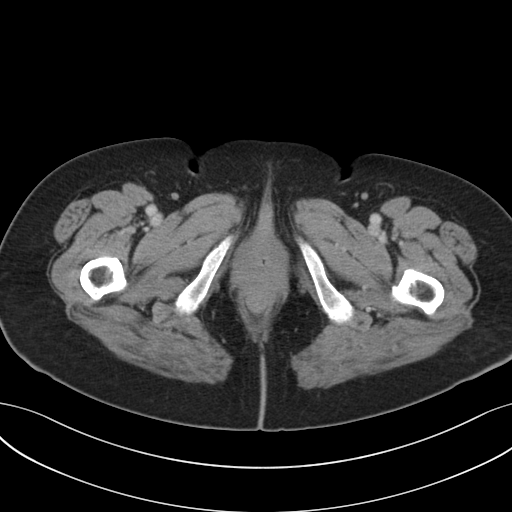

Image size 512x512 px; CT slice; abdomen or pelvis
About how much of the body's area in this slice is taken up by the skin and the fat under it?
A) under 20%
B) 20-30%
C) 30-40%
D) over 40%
D) over 40%
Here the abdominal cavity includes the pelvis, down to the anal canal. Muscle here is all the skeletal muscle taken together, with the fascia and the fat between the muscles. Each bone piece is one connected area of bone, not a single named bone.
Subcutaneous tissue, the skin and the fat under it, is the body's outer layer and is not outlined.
Outlines:
torso: [[162,136],[182,139],[196,152],[236,138],[302,142],[341,164],[363,153],[384,153],[474,183],[511,215],[511,360],[391,412],[289,431],[222,430],[166,422],[100,402],[35,370],[13,351],[0,329],[0,242],[7,227],[34,186],[63,162],[109,144]]
abdominal cavity: [[253,279],[261,279],[262,280],[265,280],[267,282],[267,283],[269,284],[270,286],[270,289],[272,292],[272,295],[273,296],[272,300],[270,303],[270,306],[265,311],[262,312],[258,315],[255,315],[250,311],[243,296],[245,288],[248,282]]
bones 1: [[299,236],[306,241],[316,251],[324,265],[325,273],[330,282],[353,306],[354,309],[353,316],[349,321],[340,324],[336,323],[330,320],[324,312],[322,306],[319,301],[319,298],[317,295],[313,280],[305,263],[305,261],[303,258],[303,256],[296,240]]
bones 2: [[407,268],[413,268],[418,271],[421,271],[428,274],[436,278],[442,284],[444,288],[444,297],[441,304],[432,314],[428,315],[417,306],[410,304],[403,304],[397,301],[394,301],[392,299],[390,295],[391,287],[393,285],[396,285],[399,282],[404,270]]
bones 3: [[100,256],[115,256],[119,259],[122,264],[124,270],[124,274],[127,280],[127,285],[125,288],[121,291],[118,291],[117,292],[110,292],[105,294],[98,300],[93,300],[81,286],[79,280],[79,276],[80,275],[80,270],[82,266],[87,261]]
bones 4: [[229,234],[233,235],[234,237],[233,241],[228,248],[220,265],[218,267],[203,300],[199,304],[198,308],[192,313],[190,314],[185,314],[184,313],[180,314],[176,311],[174,305],[174,302],[178,294],[197,275],[200,270],[203,260],[207,254]]
muscle: [[115,180],[143,184],[169,212],[204,193],[231,193],[245,207],[243,233],[276,235],[294,269],[290,213],[297,199],[328,199],[364,225],[394,196],[430,200],[454,214],[477,247],[473,268],[481,292],[472,326],[421,360],[304,389],[289,355],[326,322],[299,277],[290,272],[289,293],[268,339],[253,341],[227,272],[202,311],[209,333],[234,358],[224,381],[187,382],[123,361],[67,318],[46,275],[61,212],[84,189]]; inner edges: [[299,236],[306,241],[316,251],[324,265],[325,273],[330,282],[353,306],[354,309],[353,316],[349,321],[340,324],[336,323],[330,320],[324,312],[322,306],[319,301],[319,298],[317,295],[313,280],[305,263],[305,261],[303,258],[303,256],[296,240]], then [[407,268],[413,268],[418,271],[421,271],[428,274],[436,278],[442,284],[444,288],[444,297],[441,304],[432,314],[428,315],[417,306],[410,304],[403,304],[397,301],[394,301],[392,299],[390,295],[391,287],[393,285],[396,285],[399,282],[404,270]], then [[100,256],[115,256],[119,259],[122,264],[124,270],[124,274],[127,280],[127,285],[125,288],[121,291],[118,291],[117,292],[110,292],[105,294],[98,300],[93,300],[81,286],[79,280],[79,276],[80,275],[80,270],[82,266],[87,261]], then [[229,234],[233,235],[234,237],[233,241],[228,248],[220,265],[218,267],[203,300],[199,304],[198,308],[192,313],[190,314],[185,314],[184,313],[180,314],[176,311],[174,305],[174,302],[178,294],[197,275],[200,270],[203,260],[207,254]], then [[253,279],[261,279],[262,280],[265,280],[267,282],[267,283],[269,284],[270,286],[270,289],[272,292],[272,295],[273,296],[272,300],[270,303],[270,306],[265,311],[262,312],[258,315],[255,315],[250,311],[243,296],[245,288],[248,282]]